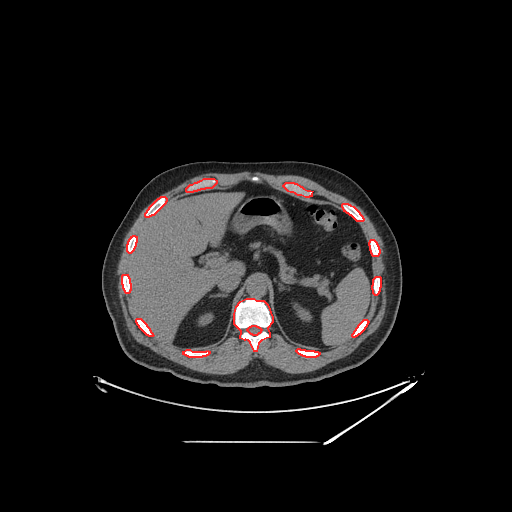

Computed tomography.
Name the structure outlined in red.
red: bones.
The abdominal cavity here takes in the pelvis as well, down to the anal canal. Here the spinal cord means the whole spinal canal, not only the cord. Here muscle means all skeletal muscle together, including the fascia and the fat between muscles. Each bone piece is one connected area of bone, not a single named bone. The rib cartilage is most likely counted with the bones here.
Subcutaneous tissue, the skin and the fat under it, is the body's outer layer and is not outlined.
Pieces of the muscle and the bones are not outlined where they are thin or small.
{"bones":[{"outer":[[246,298],[253,298],[256,300],[263,300],[267,304],[272,317],[272,322],[267,328],[269,333],[269,337],[261,340],[258,343],[256,351],[254,351],[250,342],[248,340],[245,339],[244,340],[240,338],[241,331],[234,324],[234,314],[236,306],[240,301]],"hole":[[252,325],[255,325],[256,326],[257,326],[258,327],[259,327],[261,329],[261,330],[260,331],[260,332],[259,333],[258,333],[256,335],[253,335],[252,334],[251,334],[247,330],[247,329],[250,326],[251,326]]},[[204,178],[213,178],[216,180],[216,183],[211,188],[205,188],[204,189],[200,189],[199,190],[197,190],[196,191],[193,191],[192,192],[187,192],[186,191],[186,188],[190,184],[192,184],[195,182],[197,182],[198,181],[199,181],[200,180],[201,180]],[[286,182],[293,182],[294,183],[296,183],[300,186],[301,186],[303,188],[307,190],[310,190],[312,191],[311,193],[311,196],[309,196],[308,197],[305,197],[301,195],[298,195],[293,192],[290,192],[288,191],[283,186],[283,185]],[[161,196],[164,196],[166,198],[166,201],[165,202],[165,203],[153,215],[151,215],[150,216],[149,216],[148,217],[146,217],[145,216],[145,213],[147,211],[147,210],[149,208],[149,207],[158,198],[159,198]],[[343,203],[347,203],[348,204],[349,204],[350,205],[353,206],[359,212],[359,213],[362,216],[362,217],[363,218],[363,220],[362,221],[357,221],[351,215],[350,215],[348,213],[347,213],[345,211],[344,211],[344,210],[342,207],[342,204]],[[187,349],[189,349],[192,351],[206,351],[207,350],[208,351],[209,351],[209,353],[207,355],[206,355],[205,356],[202,356],[201,357],[189,357],[188,356],[187,356],[186,355],[185,355],[184,354],[183,354],[183,351],[184,351]],[[298,348],[299,348],[300,349],[304,349],[305,350],[313,350],[314,351],[317,351],[318,352],[319,352],[319,354],[317,356],[316,356],[315,357],[306,357],[305,356],[303,356],[302,355],[301,355],[300,354],[299,354],[296,351],[296,350]],[[137,318],[140,318],[146,324],[146,325],[149,328],[149,329],[150,330],[150,331],[152,333],[152,334],[153,335],[152,336],[149,336],[148,335],[147,335],[139,327],[139,326],[137,324],[137,323],[136,322],[136,319]],[[123,274],[127,274],[127,275],[128,276],[128,277],[129,278],[129,282],[130,283],[130,290],[129,291],[129,292],[128,293],[126,293],[125,292],[125,291],[124,290],[124,289],[123,288],[123,285],[122,284],[122,275]],[[371,239],[373,239],[376,242],[376,243],[377,244],[377,245],[378,246],[378,248],[379,249],[379,253],[378,254],[378,255],[377,256],[373,256],[372,255],[372,254],[371,253],[371,251],[370,250],[370,246],[369,245],[369,242],[370,241],[370,240]],[[376,276],[379,276],[380,277],[380,287],[379,288],[379,291],[378,292],[378,293],[376,295],[375,295],[373,293],[373,290],[372,289],[372,285],[373,284],[373,279]],[[364,319],[366,319],[368,321],[368,322],[367,323],[367,324],[366,325],[366,326],[364,328],[364,329],[359,334],[358,334],[356,336],[355,336],[354,337],[353,337],[352,336],[352,334],[354,332],[354,331],[356,329],[356,328],[358,326],[358,325]],[[133,235],[134,235],[135,236],[136,236],[136,242],[135,243],[135,246],[134,247],[134,248],[133,249],[133,250],[130,253],[129,253],[127,251],[127,244],[128,243],[128,241],[129,240],[129,239],[131,237],[131,236],[132,236]]],"mediastinum":[[[258,278],[262,280],[265,280],[265,281],[267,283],[267,287],[268,288],[268,295],[267,296],[267,301],[266,302],[263,299],[256,299],[253,297],[246,297],[244,298],[244,293],[246,290],[246,287],[248,285],[248,284],[249,284],[252,280],[255,280]]],"muscle":[{"outer":[[244,171],[261,172],[262,173],[271,174],[272,175],[298,175],[315,181],[325,188],[346,197],[358,205],[368,216],[369,219],[372,222],[377,233],[380,236],[383,242],[384,252],[385,253],[384,254],[384,261],[386,268],[386,307],[385,308],[385,313],[380,325],[374,332],[369,335],[351,353],[342,358],[334,360],[318,369],[308,372],[304,372],[303,373],[289,373],[288,372],[285,372],[280,369],[275,368],[272,366],[269,366],[261,360],[256,360],[254,361],[253,363],[250,363],[242,369],[240,369],[236,372],[230,374],[212,374],[211,373],[200,372],[190,369],[183,365],[174,362],[154,352],[148,347],[138,343],[133,338],[130,332],[126,327],[125,320],[123,316],[123,313],[119,301],[119,295],[118,294],[118,288],[117,287],[118,284],[118,277],[116,274],[116,270],[117,269],[117,264],[120,258],[120,255],[123,247],[122,246],[122,243],[124,237],[133,224],[134,221],[139,215],[140,212],[159,195],[177,186],[192,177],[204,173],[209,173],[210,172],[213,172],[214,173],[238,173]],"holes":[[[253,176],[287,193],[290,192],[283,185],[296,183],[312,191],[312,200],[342,210],[343,203],[353,206],[363,218],[358,223],[367,242],[373,239],[379,249],[378,255],[371,257],[372,277],[380,277],[379,291],[371,294],[364,329],[333,347],[310,347],[290,339],[275,317],[267,328],[269,337],[258,343],[256,351],[248,340],[240,338],[241,331],[230,323],[223,339],[189,349],[207,350],[207,355],[189,357],[183,354],[186,348],[156,335],[149,336],[137,324],[139,316],[132,296],[122,284],[122,275],[128,273],[132,255],[127,251],[128,241],[133,235],[138,237],[148,219],[145,213],[161,196],[167,201],[186,194],[190,184],[204,178],[216,180],[212,189],[225,189]],[[298,348],[299,348],[300,349],[304,349],[305,350],[313,350],[314,351],[317,351],[318,352],[319,352],[319,354],[317,356],[316,356],[315,357],[306,357],[305,356],[303,356],[302,355],[301,355],[300,354],[299,354],[296,351],[296,350]]]}],"torso":[[[208,160],[313,162],[341,171],[362,187],[390,226],[398,244],[402,267],[402,293],[394,325],[370,358],[356,367],[317,381],[282,387],[245,388],[188,381],[169,372],[149,369],[124,353],[101,289],[102,265],[109,242],[140,189],[154,176],[177,165]]],"abdominal_cavity":[[[244,180],[265,182],[274,189],[328,203],[358,222],[372,256],[371,301],[365,318],[341,343],[321,349],[286,336],[267,303],[268,283],[259,277],[245,287],[227,335],[211,344],[174,345],[154,335],[139,317],[128,272],[148,218],[174,197],[225,189]]],"spinal_cord":[[[252,325],[255,325],[256,326],[257,326],[258,327],[259,327],[261,329],[261,330],[260,331],[260,332],[259,333],[258,333],[256,335],[253,335],[252,334],[251,334],[247,330],[247,329],[250,326],[251,326]]]}